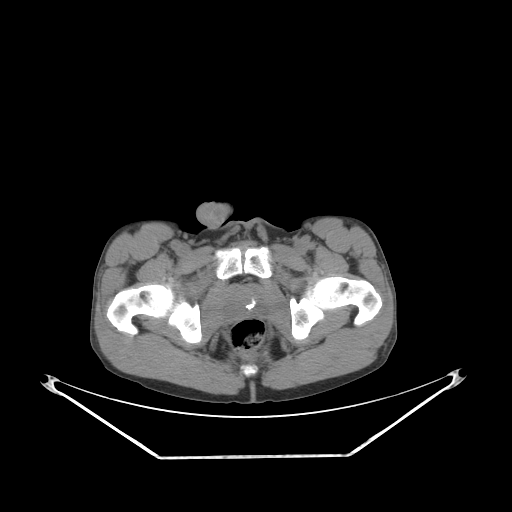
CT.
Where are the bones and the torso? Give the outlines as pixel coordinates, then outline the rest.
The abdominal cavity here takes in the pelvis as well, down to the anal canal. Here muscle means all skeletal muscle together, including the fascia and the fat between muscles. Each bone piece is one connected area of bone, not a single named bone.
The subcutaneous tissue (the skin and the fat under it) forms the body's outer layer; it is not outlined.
{"bones":[[[148,283],[170,283],[178,298],[183,298],[191,305],[198,303],[202,333],[199,342],[189,343],[182,339],[179,331],[168,324],[166,317],[156,318],[145,314],[133,316],[132,322],[138,332],[132,336],[117,330],[112,325],[106,311],[115,294],[128,287]],[[335,275],[350,279],[362,278],[371,283],[382,299],[378,313],[371,320],[357,326],[353,323],[358,311],[355,305],[328,309],[324,311],[323,319],[311,328],[307,337],[295,339],[291,334],[290,298],[294,296],[298,300],[310,282],[313,283],[320,277]],[[262,245],[267,246],[271,252],[270,257],[271,258],[272,274],[270,277],[262,278],[250,273],[242,273],[234,275],[228,279],[222,280],[216,276],[215,269],[217,265],[217,262],[214,258],[214,252],[217,249],[238,247],[243,252],[248,247],[259,247]],[[241,364],[256,364],[257,365],[257,366],[258,367],[258,371],[254,375],[252,375],[251,376],[250,376],[249,377],[247,377],[246,376],[245,376],[242,373],[242,372],[240,370],[240,365]]],"torso":[[[212,200],[234,205],[231,220],[261,216],[287,230],[320,214],[365,222],[381,245],[396,291],[397,339],[386,362],[321,394],[250,404],[182,399],[106,370],[89,341],[93,276],[106,240],[121,225],[148,218],[173,220],[197,232],[204,225],[196,207]]],"muscle":[{"outer":[[327,217],[340,218],[356,224],[369,235],[376,249],[377,260],[383,268],[391,290],[393,300],[392,326],[388,337],[381,345],[377,358],[369,365],[340,376],[282,390],[262,386],[256,380],[249,378],[245,388],[239,393],[224,395],[125,373],[114,367],[101,351],[94,329],[97,272],[110,244],[123,230],[142,222],[162,222],[171,226],[176,234],[192,247],[247,239],[267,245],[278,243],[290,246],[309,229],[313,222]],"holes":[[[262,245],[267,246],[271,252],[272,274],[270,277],[258,279],[270,305],[268,335],[256,362],[258,371],[247,377],[240,370],[240,359],[225,331],[224,302],[230,281],[216,276],[217,262],[214,252],[219,248],[232,247],[238,247],[243,252],[248,247]],[[148,283],[170,283],[178,298],[183,298],[191,305],[198,303],[202,333],[199,342],[189,343],[182,339],[179,331],[168,324],[166,317],[156,318],[145,314],[133,316],[132,322],[138,332],[132,336],[117,330],[112,325],[106,311],[115,294],[128,287]],[[335,275],[350,279],[362,278],[371,283],[382,299],[378,313],[371,320],[357,326],[353,323],[358,311],[355,305],[328,309],[324,311],[323,319],[311,328],[307,337],[295,339],[291,334],[290,298],[294,296],[298,300],[310,282],[313,283],[320,277]],[[220,338],[223,338],[225,340],[225,341],[226,342],[226,343],[227,344],[227,352],[226,353],[226,357],[225,358],[219,358],[218,357],[216,357],[215,356],[215,353],[216,352],[216,351],[217,350],[217,346],[219,344],[219,340],[220,339]],[[275,337],[276,337],[278,339],[278,341],[279,342],[279,345],[280,346],[280,350],[284,352],[284,355],[279,358],[277,358],[276,359],[272,359],[271,358],[271,350],[273,347],[273,344],[274,343],[273,341]]]}],"abdominal_cavity":[[[242,274],[250,274],[259,278],[258,281],[262,284],[264,288],[264,292],[270,305],[267,341],[256,363],[241,363],[240,362],[239,357],[234,351],[227,337],[225,331],[226,328],[224,326],[223,321],[224,302],[226,290],[230,282],[229,279],[234,276]]]}